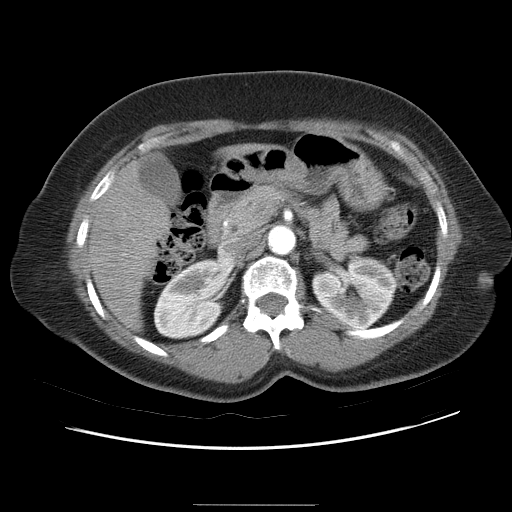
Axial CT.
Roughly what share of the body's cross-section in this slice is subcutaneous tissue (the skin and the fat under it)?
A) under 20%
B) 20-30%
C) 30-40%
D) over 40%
Answer: C) 30-40%
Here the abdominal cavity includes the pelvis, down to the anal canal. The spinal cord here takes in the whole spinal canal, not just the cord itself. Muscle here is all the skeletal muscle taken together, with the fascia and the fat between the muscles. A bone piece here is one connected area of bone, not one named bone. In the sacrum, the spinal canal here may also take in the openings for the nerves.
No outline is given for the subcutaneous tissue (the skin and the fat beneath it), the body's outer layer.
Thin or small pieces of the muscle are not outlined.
{"torso":[[[258,70],[334,74],[405,97],[447,133],[498,202],[509,224],[511,260],[495,278],[493,317],[459,357],[421,376],[363,391],[332,392],[284,376],[258,395],[218,403],[132,381],[56,336],[19,305],[9,265],[22,215],[88,122],[116,100],[153,83]]],"bones":[{"outer":[[270,255],[286,260],[294,268],[297,278],[296,299],[306,306],[315,306],[321,310],[318,312],[302,308],[300,310],[303,327],[284,328],[279,334],[279,349],[273,348],[271,338],[265,330],[251,332],[243,326],[247,298],[242,291],[242,276],[253,262]],"hole":[[268,293],[275,293],[276,294],[279,294],[285,297],[287,301],[283,307],[283,310],[282,312],[280,312],[278,314],[277,314],[273,317],[270,316],[268,314],[264,312],[262,312],[260,308],[257,305],[257,300],[260,297]]},[[372,129],[387,136],[392,140],[395,139],[399,140],[401,143],[407,147],[416,157],[418,163],[429,174],[433,181],[436,184],[437,186],[437,190],[433,193],[422,182],[417,174],[408,166],[403,159],[381,141],[372,137],[369,133],[370,130]],[[402,317],[403,317],[404,319],[397,327],[388,333],[378,337],[375,337],[374,338],[365,338],[363,339],[354,335],[349,335],[347,334],[346,332],[347,331],[362,331],[363,330],[367,330],[370,328],[382,326],[385,324],[387,324],[390,322],[397,320]],[[113,167],[115,167],[115,172],[114,173],[114,177],[113,178],[113,181],[104,193],[103,193],[97,199],[93,201],[91,201],[89,199],[90,198],[90,196],[94,188],[97,185],[97,184],[100,181],[100,180],[104,176],[104,175],[110,169],[111,169]],[[437,263],[440,267],[440,279],[439,280],[439,283],[430,301],[426,305],[425,307],[424,307],[421,310],[419,310],[419,307],[422,302],[422,300],[432,280],[432,277],[434,274],[435,267]],[[88,276],[90,277],[91,279],[91,281],[93,284],[93,286],[95,289],[95,291],[97,294],[97,296],[105,311],[106,319],[103,319],[98,314],[95,308],[91,303],[91,301],[89,298],[89,296],[87,292],[87,286],[86,285],[86,279]],[[133,335],[137,335],[140,337],[142,337],[154,343],[156,345],[160,347],[163,350],[167,352],[168,355],[167,356],[161,356],[157,354],[154,354],[144,349],[134,340],[134,339],[132,337]],[[85,215],[87,215],[89,219],[89,225],[88,226],[88,229],[87,230],[87,235],[86,236],[85,241],[82,247],[78,247],[76,243],[76,236],[77,235],[77,232],[78,231],[78,229],[79,228],[80,223],[84,218]],[[437,201],[439,201],[440,202],[444,210],[445,216],[446,217],[446,221],[447,222],[447,236],[445,238],[443,237],[442,235],[441,229],[440,228],[440,226],[438,222],[438,218],[437,217],[437,215],[435,211],[435,208],[436,207],[436,202]],[[223,324],[227,324],[228,325],[228,328],[227,330],[223,334],[219,336],[216,339],[214,340],[212,340],[209,342],[202,342],[199,340],[199,339],[201,337],[209,333],[216,327],[220,325],[222,325]],[[163,135],[166,135],[166,136],[163,139],[162,139],[159,142],[158,142],[152,148],[149,149],[145,152],[141,152],[138,150],[138,149],[137,148],[137,145],[141,142],[143,142],[144,141],[145,141],[152,137],[154,137],[155,136],[162,136]]],"abdominal_cavity":[[[247,129],[334,132],[405,164],[411,179],[422,186],[437,227],[431,280],[401,317],[346,330],[308,300],[303,276],[286,259],[270,254],[245,269],[235,306],[197,339],[153,342],[134,334],[104,308],[90,275],[87,236],[98,199],[115,173],[151,149]]],"muscle":[{"outer":[[305,117],[355,119],[361,122],[365,122],[369,124],[377,124],[380,126],[385,126],[388,128],[394,129],[412,140],[427,156],[441,176],[456,212],[458,222],[462,232],[462,241],[454,256],[453,262],[449,265],[447,275],[443,284],[442,295],[438,300],[438,303],[431,318],[420,329],[416,331],[413,335],[394,345],[371,361],[353,369],[337,373],[322,372],[321,371],[317,373],[315,371],[305,369],[287,357],[283,358],[278,357],[275,359],[272,357],[265,366],[255,373],[251,378],[244,382],[236,384],[217,383],[209,380],[197,379],[178,369],[160,364],[141,355],[128,351],[115,341],[112,340],[96,325],[89,315],[89,312],[85,309],[83,303],[76,295],[74,290],[73,281],[70,279],[70,275],[68,274],[69,271],[66,266],[65,258],[63,256],[65,253],[66,236],[69,224],[73,215],[73,211],[76,207],[81,195],[87,188],[97,172],[114,154],[137,135],[158,124],[171,123],[177,121],[202,120],[210,118],[211,119],[225,118],[246,123],[260,123],[269,120],[288,119],[289,118],[304,118]],"hole":[[247,129],[334,132],[373,145],[404,164],[369,132],[373,129],[407,147],[437,186],[433,193],[408,166],[411,179],[422,186],[434,211],[440,202],[447,222],[445,238],[437,223],[435,263],[440,279],[426,306],[419,310],[420,298],[397,327],[364,339],[347,334],[329,314],[302,308],[303,327],[284,328],[279,334],[280,348],[274,349],[265,330],[244,328],[247,298],[242,291],[219,323],[228,325],[223,334],[209,342],[198,338],[155,342],[167,356],[144,349],[106,310],[103,319],[87,292],[88,241],[82,247],[76,243],[85,215],[92,219],[98,200],[89,199],[100,180],[113,167],[117,172],[141,155],[137,145],[152,137],[166,135],[153,147],[162,148]]},[[297,272],[302,276],[302,278],[303,279],[303,281],[305,285],[305,294],[307,297],[307,300],[310,303],[313,304],[313,305],[311,304],[308,304],[306,305],[302,302],[300,302],[296,297],[296,291],[297,290],[297,286],[298,285],[298,278],[297,277]]],"spinal_cord":[[[268,293],[275,293],[276,294],[279,294],[285,297],[287,301],[283,307],[283,310],[282,312],[280,312],[278,314],[277,314],[273,317],[270,316],[268,314],[264,312],[262,312],[260,308],[257,305],[257,300],[260,297]]]}